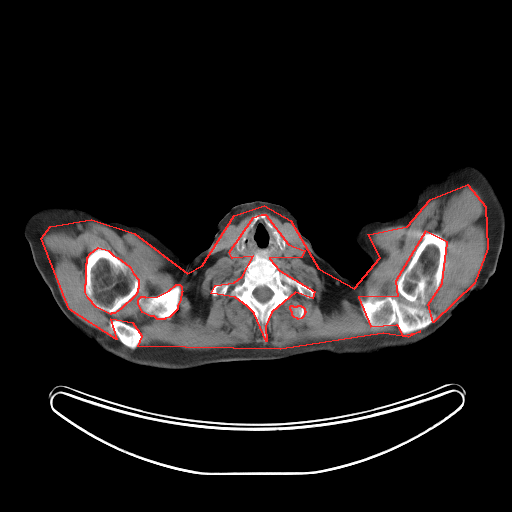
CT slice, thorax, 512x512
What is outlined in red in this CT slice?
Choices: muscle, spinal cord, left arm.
red: muscle.
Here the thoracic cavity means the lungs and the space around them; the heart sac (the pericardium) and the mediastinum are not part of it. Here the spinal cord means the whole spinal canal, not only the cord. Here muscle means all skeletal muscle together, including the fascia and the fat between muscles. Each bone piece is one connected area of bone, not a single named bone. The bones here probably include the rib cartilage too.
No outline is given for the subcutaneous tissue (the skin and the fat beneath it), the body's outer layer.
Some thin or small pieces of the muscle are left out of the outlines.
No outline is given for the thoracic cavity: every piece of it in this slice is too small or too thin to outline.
The muscle is outlined by 467,184 485,206 487,248 474,283 433,322 428,304 442,283 447,242 425,231 395,281 397,296 358,297 370,326 396,324 402,335 420,331 408,337 383,333 280,349 138,346 142,336 133,323 110,319 116,339 69,309 41,238 50,226 91,219 134,233 187,273 202,265 234,215 264,205 290,220 318,268 354,288 380,257 368,234 407,226 430,199, around holes outlined by 261,214 265,214 288,244 304,250 301,257 269,258 279,270 314,291 312,298 295,292 271,312 265,326 266,341 254,313 247,306 235,297 211,293 215,285 234,282 242,276 253,256 232,258 229,252 253,217 and by 98,247 108,250 113,255 117,257 129,266 133,273 138,279 138,288 137,289 137,292 135,295 120,309 114,313 111,313 110,314 96,307 88,298 85,292 85,284 86,283 86,263 87,262 87,257 90,253 and by 176,284 179,284 181,286 181,289 182,291 181,292 180,299 177,306 177,309 169,317 165,318 164,319 157,319 154,316 150,316 142,312 138,303 138,299 141,296 144,296 145,297 157,296 169,290 and by 291,305 292,305 293,306 297,306 298,305 300,305 301,306 302,306 304,308 304,310 305,311 305,312 304,313 303,316 301,318 298,319 297,318 294,317 292,315 292,312 290,309 290,306. The bones appear in 7 outlined pieces: piece 1: 425,232 437,233 446,242 441,283 427,304 429,310 435,315 433,321 424,329 407,334 402,334 396,323 380,326 370,325 362,313 359,297 364,299 369,297 373,300 384,299 388,296 397,297 396,281 415,253; piece 2: 258,252 267,254 279,270 311,287 314,291 312,298 306,298 295,292 271,312 265,326 266,341 263,341 262,331 254,313 247,306 235,297 214,296 211,293 211,289 215,285 226,281 234,282 240,278 245,266; inner edge: 259,286 265,286 266,287 269,288 271,290 271,291 272,292 272,295 271,296 271,297 269,299 268,299 266,301 265,301 264,302 261,302 260,301 259,301 254,296 254,295 253,294 253,291 257,287 258,287; piece 3: 98,247 108,250 113,255 117,257 129,266 133,273 138,279 138,288 137,289 137,292 135,295 120,309 114,313 111,313 110,314 96,307 88,298 85,292 85,284 86,283 86,263 87,262 87,257 90,253; piece 4: 176,284 179,284 181,286 181,289 182,291 181,292 180,299 177,306 177,309 169,317 165,318 164,319 157,319 154,316 150,316 142,312 138,303 138,299 141,296 144,296 145,297 157,296 169,290; piece 5: 112,319 120,319 121,320 126,321 131,324 133,324 137,327 137,328 140,333 140,335 141,336 141,341 135,349 131,349 130,348 127,347 120,341 120,340 117,336 117,335 112,330 112,329 109,325 109,321; piece 6: 261,214 265,214 266,219 282,236 285,237 286,244 284,249 280,248 272,229 262,218 257,219 249,228 245,235 244,247 242,249 237,249 236,243 238,238 241,238 243,236 244,228 251,222 255,215; piece 7: 291,305 292,305 293,306 297,306 298,305 300,305 301,306 302,306 304,308 304,310 305,311 305,312 304,313 303,316 301,318 298,319 297,318 294,317 292,315 292,312 290,309 290,306. The torso is outlined by 257,199 289,210 299,221 301,233 315,252 352,282 359,280 368,290 448,320 414,344 370,355 320,351 283,359 164,369 134,364 104,350 100,347 115,343 140,327 178,286 191,258 211,244 219,221 233,206. The right arm is outlined by 49,206 79,206 108,222 114,221 129,226 138,226 153,233 181,254 190,257 185,272 177,286 143,323 127,336 115,342 99,346 80,331 57,305 49,288 34,264 30,247 23,233 24,225 29,217 37,210. The left arm is outlined by 465,164 475,166 485,174 505,213 504,236 497,266 485,286 479,292 472,292 457,306 449,319 364,287 359,279 366,275 372,262 356,245 356,232 367,222 385,221 403,215 416,203 418,193 426,183. The spinal cord is outlined by 259,286 265,286 266,287 269,288 271,290 271,291 272,292 272,295 271,296 271,297 269,299 268,299 266,301 265,301 264,302 261,302 260,301 259,301 254,296 254,295 253,294 253,291 257,287 258,287. The central area in front of the spine is outlined by 259,219 264,220 266,225 271,229 276,243 281,250 285,249 287,243 297,245 303,248 303,256 280,258 277,256 269,256 263,251 258,251 248,258 230,257 229,252 235,243 237,250 242,250 245,247 246,235.